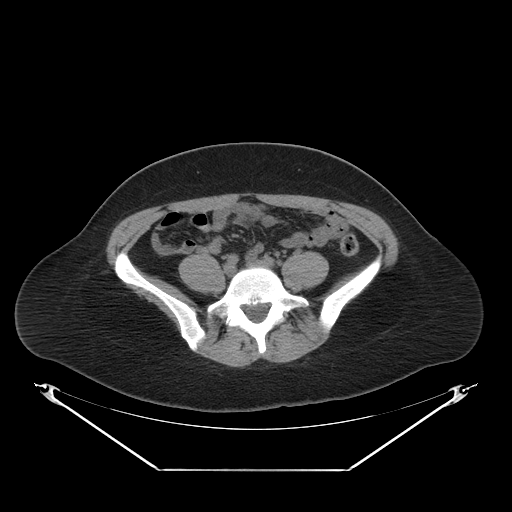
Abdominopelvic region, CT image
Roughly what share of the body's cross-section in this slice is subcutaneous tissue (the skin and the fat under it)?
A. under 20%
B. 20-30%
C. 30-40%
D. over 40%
Answer: D. over 40%
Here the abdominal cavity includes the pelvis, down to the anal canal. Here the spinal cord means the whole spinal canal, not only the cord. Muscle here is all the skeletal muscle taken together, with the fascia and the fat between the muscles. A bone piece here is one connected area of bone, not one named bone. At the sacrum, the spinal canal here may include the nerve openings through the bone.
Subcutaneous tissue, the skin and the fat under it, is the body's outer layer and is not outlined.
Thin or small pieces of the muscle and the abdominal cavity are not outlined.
muscle 1: 363 265; 366 265; 355 275; 323 298; 318 323; 325 333; 333 328; 322 345; 288 362; 274 363; 258 359; 245 367; 228 366; 194 353; 206 337; 195 308; 148 280; 135 267; 175 286; 198 305; 206 305; 205 310; 209 317; 214 314; 224 319; 228 328; 238 327; 246 332; 255 340; 258 353; 263 354; 267 348; 266 335; 284 322; 291 310; 307 307; 310 304; 308 298; 321 295; 342 276
muscle 2: 247 191; 316 196; 365 207; 378 214; 388 224; 397 238; 399 243; 397 261; 391 269; 380 273; 342 311; 349 301; 373 280; 382 266; 382 256; 380 253; 378 254; 374 243; 355 226; 327 209; 273 205; 255 197; 241 196; 227 205; 208 211; 172 210; 166 212; 154 221; 137 239; 128 253; 120 250; 116 254; 113 262; 114 274; 110 271; 106 259; 106 246; 112 229; 128 215; 168 202
muscle 3: 198 253; 199 254; 208 254; 210 256; 213 257; 218 262; 219 266; 223 272; 223 275; 225 280; 225 288; 221 293; 219 294; 219 296; 215 296; 211 293; 210 294; 206 294; 190 288; 182 281; 179 275; 178 266; 180 262; 184 258
muscle 4: 305 251; 311 251; 312 252; 317 252; 319 253; 327 260; 329 265; 329 269; 327 275; 323 281; 317 285; 308 289; 302 289; 296 293; 292 293; 289 291; 284 284; 283 275; 282 274; 282 264; 290 256; 297 256; 301 254; 302 252
muscle 5: 120 280; 125 284; 133 285; 136 287; 141 288; 157 297; 174 315; 179 327; 179 334; 184 340; 187 346; 180 337; 178 332; 170 319; 168 318; 162 311; 161 311; 153 303; 147 301; 144 298; 140 298; 134 293; 131 289; 124 286
torso: 242 141; 281 142; 317 148; 353 163; 384 185; 474 276; 483 299; 484 323; 473 349; 460 359; 425 367; 390 385; 355 397; 224 413; 140 401; 26 349; 15 330; 14 304; 22 281; 42 257; 78 233; 107 196; 144 166; 192 148
spinal cord: 265 303; 267 303; 269 304; 268 306; 268 310; 267 311; 267 313; 265 317; 261 321; 259 322; 254 322; 252 321; 247 316; 243 308; 243 306; 244 305; 246 305; 247 306; 255 306; 258 304; 264 304
bones 1: 252 265; 271 269; 289 292; 303 296; 309 303; 305 307; 291 309; 285 320; 265 335; 266 348; 263 353; 259 353; 256 340; 246 331; 238 326; 228 327; 224 318; 214 313; 209 316; 206 310; 209 304; 225 293; 230 280; 239 270; inner edge: 265 303; 267 303; 269 304; 268 306; 268 310; 267 311; 267 313; 265 317; 261 321; 259 322; 254 322; 252 321; 247 316; 243 308; 243 306; 244 305; 246 305; 247 306; 255 306; 258 304; 264 304
bones 2: 120 251; 123 251; 127 254; 137 271; 148 281; 166 293; 194 308; 196 318; 205 332; 205 337; 198 344; 196 351; 192 351; 189 348; 180 334; 180 327; 175 315; 157 296; 141 287; 125 283; 116 276; 114 271; 114 262; 117 254
bones 3: 379 254; 380 254; 381 256; 381 266; 376 275; 358 294; 348 301; 348 302; 342 308; 339 314; 339 316; 333 326; 328 332; 325 332; 319 323; 319 314; 320 313; 320 310; 322 306; 322 302; 324 298; 355 276; 377 255
abdominal cavity: 241 197; 273 206; 332 212; 365 235; 377 254; 321 294; 307 298; 296 294; 323 282; 330 269; 319 252; 290 255; 281 264; 283 284; 271 268; 252 264; 231 277; 218 299; 200 305; 175 285; 143 271; 128 254; 166 213; 208 212, around a hole outlined by 198 253; 199 254; 208 254; 210 256; 213 257; 218 262; 219 266; 223 272; 223 275; 225 280; 225 288; 221 293; 219 294; 219 296; 215 296; 211 293; 210 294; 206 294; 190 288; 182 281; 179 275; 178 266; 180 262; 184 258